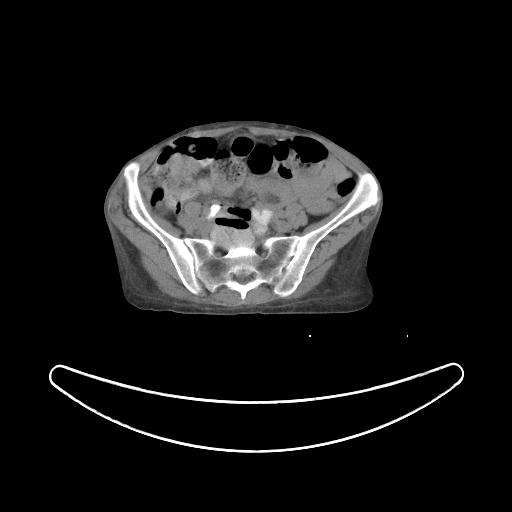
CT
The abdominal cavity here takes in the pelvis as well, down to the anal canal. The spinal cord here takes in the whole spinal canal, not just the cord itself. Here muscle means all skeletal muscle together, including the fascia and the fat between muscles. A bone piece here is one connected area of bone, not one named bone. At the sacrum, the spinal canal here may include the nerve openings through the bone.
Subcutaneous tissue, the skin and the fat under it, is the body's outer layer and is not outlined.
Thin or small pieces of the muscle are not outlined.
{"bones":[{"outer":[[132,161],[139,164],[138,186],[149,214],[180,238],[231,244],[303,235],[341,210],[359,172],[375,177],[378,201],[316,245],[291,294],[280,297],[267,283],[249,290],[243,299],[225,285],[194,294],[182,283],[165,246],[129,208],[123,170]],"holes":[[[242,275],[243,276],[247,276],[248,277],[250,277],[250,279],[247,282],[246,282],[245,283],[240,283],[235,278],[236,277],[237,277],[238,276],[241,276]],[[218,249],[219,249],[220,249],[221,250],[222,250],[223,250],[224,250],[225,251],[225,252],[225,253],[225,254],[224,254],[223,255],[222,255],[221,255],[220,255],[219,255],[218,255],[217,254],[216,253],[216,252],[216,251],[216,250],[217,250]]]}],"muscle":[[[122,172],[131,214],[164,246],[181,283],[194,295],[201,295],[204,290],[213,293],[225,286],[238,292],[243,300],[249,291],[261,284],[267,284],[272,285],[274,294],[285,298],[297,289],[317,245],[329,233],[374,206],[379,201],[379,190],[380,204],[375,217],[366,228],[338,251],[336,261],[324,279],[304,296],[277,299],[264,304],[243,303],[238,306],[198,304],[163,293],[140,264],[136,249],[110,219],[107,202]],[[231,127],[264,127],[277,128],[311,134],[331,143],[349,154],[358,160],[369,171],[359,171],[356,174],[320,141],[304,135],[254,134],[252,133],[246,127],[238,127],[231,131],[221,135],[183,135],[164,145],[140,178],[140,184],[143,197],[147,203],[149,208],[182,231],[184,229],[178,222],[179,213],[190,201],[196,201],[201,204],[201,225],[191,235],[183,237],[176,236],[164,229],[153,218],[147,209],[143,200],[138,180],[140,164],[135,160],[157,146],[194,130],[216,130]],[[292,204],[298,204],[300,206],[301,206],[302,209],[305,212],[305,214],[307,218],[307,221],[306,223],[304,225],[302,225],[297,228],[293,228],[292,226],[289,225],[286,222],[286,219],[285,218],[285,209],[286,207]],[[343,204],[344,204],[344,205],[336,214],[335,214],[330,219],[329,219],[320,226],[316,228],[314,228],[303,234],[297,234],[301,232],[306,226],[310,224],[318,222],[322,220],[324,218],[327,217],[332,212],[333,212],[336,209],[340,207]]],"abdominal_cavity":[{"outer":[[238,128],[246,128],[254,135],[304,136],[320,142],[357,176],[350,196],[296,234],[272,235],[257,242],[238,238],[231,243],[188,236],[202,225],[202,204],[190,200],[183,206],[177,215],[182,230],[150,208],[141,178],[162,148],[175,139],[221,136]],"hole":[[292,204],[298,204],[300,206],[301,206],[302,209],[305,212],[305,214],[307,218],[307,221],[306,223],[304,225],[302,225],[297,228],[293,228],[292,226],[289,225],[286,222],[286,219],[285,218],[285,209],[286,207]]}],"spinal_cord":[[[242,275],[243,276],[247,276],[248,277],[250,277],[250,279],[247,282],[246,282],[245,283],[240,283],[235,278],[236,277],[237,277],[238,276],[241,276]],[[218,249],[219,249],[220,249],[221,250],[222,250],[223,250],[224,250],[225,251],[225,252],[225,253],[225,254],[224,254],[223,255],[222,255],[221,255],[220,255],[219,255],[218,255],[217,254],[216,253],[216,252],[216,251],[216,250],[217,250]],[[261,249],[262,249],[263,249],[264,250],[265,250],[266,250],[266,251],[266,252],[265,253],[264,254],[263,254],[262,254],[261,254],[260,254],[259,254],[258,253],[258,252],[258,251],[258,250],[259,250],[260,250]]],"torso":[[[222,120],[263,120],[311,129],[346,148],[373,170],[382,187],[383,208],[371,242],[367,264],[367,271],[374,288],[374,297],[369,305],[350,313],[220,316],[142,310],[124,300],[112,242],[103,215],[103,202],[109,185],[128,159],[154,143],[189,126]]]}